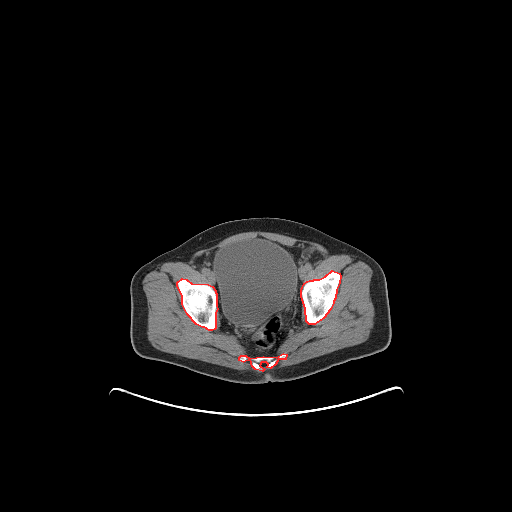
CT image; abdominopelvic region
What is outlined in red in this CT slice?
red: bones.
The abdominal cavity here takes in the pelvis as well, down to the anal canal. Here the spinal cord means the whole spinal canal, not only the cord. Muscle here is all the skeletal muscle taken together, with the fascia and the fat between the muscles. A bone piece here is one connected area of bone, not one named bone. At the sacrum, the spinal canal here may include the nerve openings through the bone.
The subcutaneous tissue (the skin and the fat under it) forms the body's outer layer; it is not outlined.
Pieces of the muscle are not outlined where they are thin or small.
Outlines:
bones 1: (182, 278) (186, 279) (191, 283) (208, 284) (212, 286) (215, 290) (215, 292) (216, 293) (216, 306) (217, 308) (215, 313) (215, 328) (214, 329) (212, 330) (209, 330) (204, 327) (202, 327) (196, 324) (187, 314) (182, 304) (182, 295) (177, 286) (177, 282)
bones 2: (332, 270) (339, 273) (340, 275) (339, 283) (336, 289) (335, 298) (333, 301) (333, 303) (330, 309) (323, 318) (314, 324) (309, 324) (306, 321) (305, 308) (301, 296) (301, 290) (302, 287) (304, 283) (307, 281) (309, 280) (313, 280) (314, 279) (319, 279) (325, 276)
bones 3: (283, 353) (286, 354) (285, 359) (278, 359) (275, 364) (270, 368) (267, 367) (268, 364) (266, 362) (261, 362) (259, 365) (264, 369) (262, 371) (255, 369) (252, 366) (250, 359) (243, 362) (239, 360) (239, 357) (241, 355) (245, 355) (249, 358) (263, 356) (276, 357)
spinal cord: (261, 363) (262, 363) (263, 363) (264, 363) (265, 363) (266, 363) (267, 364) (267, 365) (266, 366) (265, 367) (264, 367) (263, 367) (262, 367) (261, 366) (260, 365) (260, 364)
torso: (259, 217) (283, 218) (309, 225) (358, 248) (375, 259) (382, 267) (387, 283) (391, 321) (391, 340) (388, 346) (372, 355) (353, 359) (302, 378) (261, 384) (229, 382) (139, 356) (134, 351) (130, 339) (130, 282) (135, 271) (160, 254) (175, 248) (212, 226) (231, 220)
muscle: (248, 231) (305, 239) (321, 244) (331, 253) (350, 253) (362, 259) (373, 271) (370, 297) (374, 321) (369, 337) (362, 343) (303, 362) (271, 368) (278, 360) (286, 359) (285, 352) (277, 355) (276, 351) (301, 327) (303, 305) (305, 321) (309, 325) (327, 315) (336, 298) (341, 275) (332, 269) (319, 278) (304, 282) (305, 275) (322, 255) (306, 243) (303, 247) (285, 246) (257, 235) (214, 248) (197, 258) (196, 267) (213, 286) (191, 282) (184, 277) (176, 286) (182, 307) (196, 325) (214, 330) (218, 310) (220, 329) (235, 335) (245, 349) (247, 355) (241, 354) (238, 360) (241, 363) (250, 360) (251, 366) (260, 372) (229, 368) (153, 347) (146, 333) (147, 302) (142, 288) (145, 275) (163, 262) (186, 259) (228, 236)
abdominal cavity: (257, 236) (278, 242) (285, 247) (303, 248) (306, 244) (322, 257) (303, 277) (300, 290) (302, 302) (300, 327) (287, 336) (275, 351) (276, 355) (248, 355) (235, 334) (226, 333) (221, 329) (221, 316) (217, 306) (217, 293) (214, 284) (196, 265) (199, 257) (214, 249)